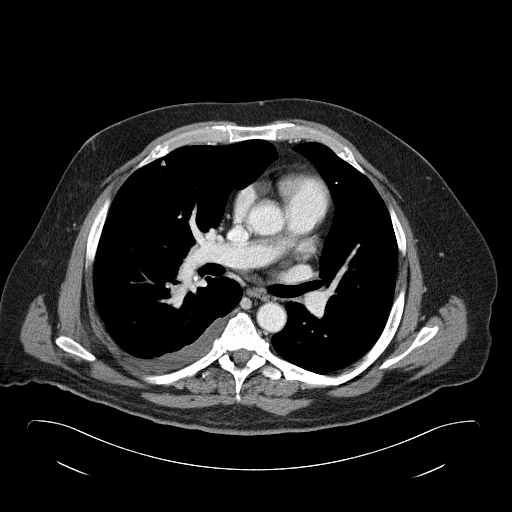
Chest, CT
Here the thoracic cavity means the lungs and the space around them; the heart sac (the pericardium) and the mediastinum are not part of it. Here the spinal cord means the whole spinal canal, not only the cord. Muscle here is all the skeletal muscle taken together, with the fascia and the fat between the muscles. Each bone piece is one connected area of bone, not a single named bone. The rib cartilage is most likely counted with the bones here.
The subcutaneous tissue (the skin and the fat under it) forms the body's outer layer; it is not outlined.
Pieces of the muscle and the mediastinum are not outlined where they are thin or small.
The bones appear in 6 outlined pieces: piece 1: (402, 288) (404, 305) (393, 337) (370, 365) (343, 383) (272, 379) (258, 368) (244, 379) (237, 401) (234, 376) (216, 361) (205, 377) (199, 371) (170, 384) (141, 377) (178, 370) (203, 356) (237, 312) (251, 318) (281, 358) (317, 374) (338, 374) (376, 342) with a hole at (240, 349) (244, 349) (245, 350) (246, 350) (247, 351) (248, 351) (250, 353) (250, 357) (248, 359) (248, 360) (242, 366) (239, 366) (238, 365) (237, 365) (233, 361) (233, 360) (232, 359) (232, 354) (233, 353) (233, 352) (234, 352) (237, 350) (239, 350); piece 2: (278, 122) (290, 122) (313, 127) (335, 138) (351, 151) (355, 160) (367, 175) (339, 157) (327, 145) (318, 141) (305, 139) (297, 141) (287, 139) (247, 139) (231, 143) (186, 144) (173, 149) (162, 157) (133, 171) (134, 167) (155, 146) (182, 132) (212, 125) (257, 126); piece 3: (107, 197) (109, 197) (111, 199) (111, 202) (109, 205) (108, 211) (101, 230) (100, 237) (98, 241) (98, 244) (95, 253) (95, 257) (92, 266) (88, 269) (86, 269) (85, 267) (85, 263) (86, 262) (87, 238) (94, 217) (98, 209); piece 4: (435, 325) (438, 327) (438, 329) (434, 336) (428, 341) (420, 346) (417, 346) (415, 347) (401, 359) (393, 363) (388, 367) (386, 368) (383, 368) (382, 369) (380, 369) (379, 368) (379, 366) (385, 360) (399, 355) (407, 348) (408, 348) (422, 327) (424, 326) (432, 327); piece 5: (61, 335) (67, 336) (71, 338) (73, 340) (80, 344) (86, 350) (93, 354) (96, 358) (94, 360) (87, 360) (77, 355) (75, 355) (72, 353) (70, 353) (67, 351) (65, 351) (63, 349) (59, 347) (55, 342) (55, 339) (58, 336) (60, 336); piece 6: (389, 206) (392, 206) (393, 207) (405, 234) (405, 255) (404, 256) (403, 256) (398, 250) (397, 242) (396, 241) (396, 237) (395, 236) (395, 233) (394, 232) (394, 229) (393, 228) (393, 225) (392, 224) (391, 217) (390, 216) (390, 214) (388, 210) (388, 207). The pericardium is outlined by (299, 163) (315, 171) (317, 170) (331, 196) (332, 207) (327, 218) (327, 227) (322, 237) (321, 247) (315, 257) (302, 264) (253, 268) (235, 252) (226, 239) (226, 231) (231, 221) (228, 215) (230, 214) (232, 199) (239, 190) (242, 190) (261, 178) (268, 170) (280, 165). The torso is outlined by (284, 97) (334, 103) (377, 122) (419, 152) (457, 197) (485, 238) (497, 270) (489, 323) (492, 345) (482, 373) (471, 381) (441, 387) (399, 409) (358, 423) (264, 435) (212, 433) (160, 424) (48, 383) (0, 385) (0, 296) (5, 280) (82, 144) (113, 123) (166, 105). The mediastinum appears in 2 outlined pieces: piece 1: (232, 190) (238, 190) (231, 199) (225, 239) (253, 269) (302, 265) (315, 258) (334, 206) (318, 275) (293, 288) (297, 290) (294, 296) (285, 303) (285, 325) (270, 341) (246, 312) (237, 311) (230, 316) (243, 291) (237, 281) (223, 275) (224, 267) (216, 262) (218, 228); piece 2: (282, 140) (287, 140) (290, 142) (293, 141) (297, 142) (300, 140) (309, 141) (298, 142) (292, 148) (294, 151) (298, 152) (307, 158) (313, 164) (316, 170) (299, 162) (280, 164) (268, 169) (261, 177) (258, 178) (268, 166) (278, 158) (278, 151) (276, 147) (270, 141). The thoracic cavity appears in 2 outlined pieces: piece 1: (247, 140) (269, 141) (277, 151) (277, 158) (247, 186) (231, 190) (217, 228) (215, 262) (223, 267) (223, 276) (240, 286) (241, 298) (207, 352) (178, 369) (146, 373) (132, 365) (116, 346) (100, 319) (95, 303) (93, 264) (112, 200) (134, 171) (179, 147) (231, 144); piece 2: (310, 141) (327, 146) (369, 179) (387, 208) (398, 251) (394, 298) (381, 333) (360, 359) (327, 374) (281, 357) (271, 349) (270, 342) (286, 325) (286, 303) (295, 296) (298, 290) (294, 288) (318, 277) (322, 249) (335, 213) (330, 190) (321, 174) (307, 157) (293, 148). The muscle is outlined by (285, 118) (315, 121) (333, 129) (400, 194) (431, 279) (466, 306) (467, 336) (449, 361) (383, 395) (351, 403) (309, 405) (276, 415) (238, 403) (193, 408) (159, 405) (89, 381) (22, 349) (19, 336) (28, 308) (72, 248) (102, 182) (158, 136) (194, 122) (226, 120) (237, 124) (195, 127) (155, 145) (112, 199) (107, 196) (97, 209) (86, 238) (84, 267) (92, 267) (95, 308) (106, 333) (151, 385) (170, 385) (199, 372) (205, 378) (211, 373) (206, 369) (216, 362) (233, 376) (237, 402) (245, 379) (258, 369) (272, 380) (283, 377) (327, 387) (343, 384) (370, 366) (386, 349) (402, 318) (406, 288) (395, 296) (395, 288) (398, 255) (406, 255) (405, 231) (394, 207) (387, 207) (346, 145) (313, 126) (268, 123) with holes at (435, 325) (438, 327) (438, 329) (434, 336) (428, 341) (420, 346) (417, 346) (415, 347) (401, 359) (393, 363) (388, 367) (386, 368) (383, 368) (382, 369) (380, 369) (379, 368) (379, 366) (385, 360) (399, 355) (407, 348) (408, 348) (422, 327) (424, 326) (432, 327) and at (61, 335) (67, 336) (71, 338) (73, 340) (80, 344) (86, 350) (93, 354) (96, 358) (94, 360) (87, 360) (77, 355) (75, 355) (72, 353) (70, 353) (67, 351) (65, 351) (63, 349) (59, 347) (55, 342) (55, 339) (58, 336) (60, 336). The spinal cord is outlined by (240, 349) (244, 349) (245, 350) (246, 350) (247, 351) (248, 351) (250, 353) (250, 357) (248, 359) (248, 360) (242, 366) (239, 366) (238, 365) (237, 365) (233, 361) (233, 360) (232, 359) (232, 354) (233, 353) (233, 352) (234, 352) (237, 350) (239, 350).